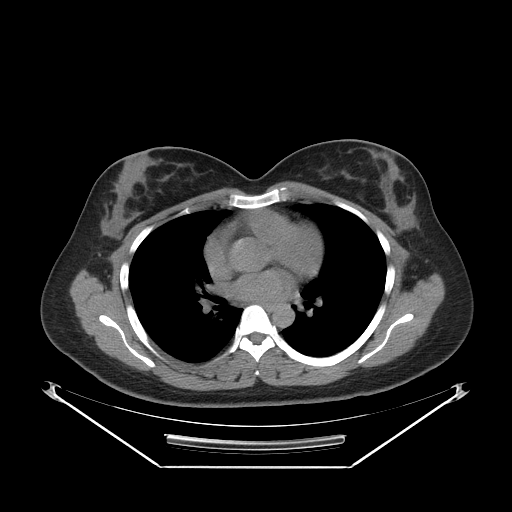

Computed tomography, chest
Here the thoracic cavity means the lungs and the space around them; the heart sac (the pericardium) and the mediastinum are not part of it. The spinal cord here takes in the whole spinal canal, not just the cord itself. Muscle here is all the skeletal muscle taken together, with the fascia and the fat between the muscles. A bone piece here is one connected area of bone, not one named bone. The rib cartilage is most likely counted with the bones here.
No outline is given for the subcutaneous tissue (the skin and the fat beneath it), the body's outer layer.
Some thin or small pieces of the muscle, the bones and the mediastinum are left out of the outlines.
{"mediastinum":[[[299,290],[296,297],[293,301],[293,304],[291,306],[295,312],[295,319],[291,325],[287,327],[285,327],[280,332],[280,333],[277,327],[273,323],[272,323],[270,320],[270,318],[264,308],[261,305],[260,305],[274,305],[275,304],[285,304],[289,302]],[[298,199],[305,200],[308,202],[316,202],[313,203],[297,203],[292,207],[293,209],[301,212],[309,218],[304,217],[293,211],[291,211],[285,208],[279,208],[278,207],[264,207],[267,207],[270,205],[279,202],[285,202],[288,200],[297,200]],[[212,281],[213,282],[213,285],[215,286],[217,290],[230,300],[233,300],[238,303],[242,303],[243,304],[251,304],[247,305],[245,307],[244,307],[243,309],[241,307],[234,306],[231,302],[228,301],[221,295],[219,295],[217,293],[216,293],[212,285]],[[230,207],[234,207],[235,208],[238,208],[239,209],[248,209],[244,210],[243,211],[240,211],[237,213],[235,213],[229,216],[226,219],[222,221],[219,224],[219,225],[217,227],[216,227],[218,225],[218,224],[230,213],[230,211],[229,210]]],"torso":[[[344,138],[387,146],[415,165],[426,182],[434,211],[465,265],[474,297],[471,329],[439,366],[391,390],[346,400],[178,407],[138,399],[105,385],[50,342],[40,320],[44,284],[93,183],[111,163],[155,146],[181,146],[215,156],[256,178],[302,147]]],"bones":[{"outer":[[383,302],[385,303],[384,313],[371,335],[357,350],[333,365],[305,364],[292,359],[276,346],[266,350],[258,361],[247,351],[239,348],[214,359],[231,343],[241,314],[249,305],[261,306],[281,336],[295,350],[307,356],[326,357],[351,344],[364,331]],"hole":[[254,332],[257,332],[258,333],[260,333],[261,334],[264,335],[264,337],[263,338],[263,339],[260,342],[260,343],[259,343],[258,344],[256,344],[255,343],[252,342],[252,341],[249,338],[249,335],[250,335],[252,333],[253,333]]},[[282,186],[286,186],[291,193],[289,199],[285,201],[279,201],[267,206],[259,207],[258,208],[251,208],[250,209],[248,208],[239,208],[234,206],[228,206],[226,203],[229,195],[232,193],[240,194],[241,195],[256,195],[270,191],[274,188],[278,188]],[[127,304],[132,304],[135,310],[135,312],[137,315],[137,317],[149,338],[149,342],[150,344],[163,358],[163,359],[155,355],[147,347],[146,347],[146,346],[139,339],[135,333],[134,330],[130,324],[130,322],[127,315],[127,311],[126,310],[126,305]],[[101,314],[104,314],[111,318],[123,331],[126,341],[128,344],[139,354],[148,357],[151,359],[154,362],[155,366],[154,367],[150,367],[141,359],[135,356],[124,344],[120,333],[114,327],[108,325],[105,325],[99,320],[99,316]],[[406,313],[411,313],[413,315],[413,318],[409,321],[402,322],[397,324],[391,330],[389,337],[386,343],[382,347],[382,348],[367,358],[361,363],[358,363],[358,360],[363,355],[373,350],[382,342],[385,337],[386,331],[389,326],[398,318]],[[149,225],[154,225],[154,228],[144,238],[144,239],[137,247],[136,250],[132,254],[131,253],[130,253],[129,252],[129,249],[130,248],[130,246],[131,245],[132,242],[136,237],[136,236],[141,231],[141,230],[142,229],[143,229],[145,227],[146,227]],[[389,264],[392,264],[394,266],[394,268],[395,269],[395,276],[394,277],[394,281],[393,282],[393,286],[392,287],[389,294],[388,295],[387,295],[384,293],[384,287],[385,286],[385,280],[386,279],[386,270],[387,269],[387,265],[388,265]],[[124,262],[127,262],[129,264],[129,271],[128,272],[128,289],[127,289],[126,290],[125,290],[124,291],[123,291],[121,289],[121,286],[120,285],[120,280],[119,279],[119,273],[120,272],[120,268],[121,267],[121,265]],[[334,200],[339,200],[340,201],[341,201],[342,202],[343,202],[344,203],[357,209],[360,212],[361,212],[367,218],[367,219],[368,220],[368,224],[367,224],[357,215],[356,215],[341,207],[339,207],[336,205],[334,205],[333,204],[333,201]],[[377,229],[378,229],[386,237],[386,238],[388,240],[388,242],[389,243],[389,247],[390,248],[390,252],[388,255],[386,255],[385,254],[385,253],[382,248],[382,246],[381,245],[381,244],[380,243],[380,242],[379,241],[379,240],[375,233],[375,231]],[[195,205],[197,205],[199,206],[200,207],[200,209],[198,210],[196,210],[195,211],[193,211],[187,214],[180,215],[177,217],[175,217],[171,219],[171,218],[175,214],[178,213],[184,208],[186,207],[190,207],[191,206],[194,206]]],"thoracic_cavity":[[[214,206],[227,206],[229,207],[229,213],[207,235],[202,249],[203,259],[215,293],[231,303],[234,307],[241,308],[242,311],[232,339],[224,349],[208,360],[188,362],[168,354],[149,337],[138,317],[129,290],[130,264],[138,247],[154,229],[172,219]],[[314,203],[336,206],[362,220],[374,232],[385,255],[386,264],[383,293],[370,321],[346,347],[326,356],[304,354],[290,345],[281,334],[295,321],[296,312],[292,306],[294,301],[304,285],[318,275],[324,259],[324,239],[317,224],[293,208],[297,204]]],"pericardium":[[[259,208],[285,209],[304,218],[307,218],[316,224],[323,239],[324,253],[317,275],[304,282],[292,298],[285,303],[256,304],[243,303],[230,299],[220,292],[214,285],[214,282],[212,280],[204,259],[203,250],[206,240],[208,236],[222,222],[240,212]]],"muscle":[{"outer":[[286,180],[306,183],[355,202],[382,219],[410,255],[403,272],[404,289],[409,290],[417,280],[433,272],[440,274],[445,294],[424,338],[417,345],[373,370],[326,384],[274,386],[258,380],[244,388],[202,391],[175,387],[137,371],[104,353],[91,341],[76,316],[69,294],[76,274],[85,268],[109,285],[112,274],[110,255],[121,245],[131,227],[194,196],[222,187],[234,187],[256,194],[232,192],[226,205],[202,209],[197,204],[186,206],[155,228],[154,224],[145,226],[131,242],[128,249],[133,254],[131,261],[120,265],[118,279],[120,289],[129,291],[132,303],[127,303],[125,310],[138,339],[162,360],[164,358],[150,339],[168,355],[188,363],[201,363],[214,357],[216,361],[238,349],[258,362],[266,351],[276,347],[296,362],[328,367],[357,351],[380,323],[386,310],[386,303],[380,303],[382,296],[388,296],[394,286],[395,266],[386,263],[386,256],[391,252],[389,240],[378,228],[374,231],[368,225],[369,220],[361,211],[339,199],[334,199],[332,204],[290,199],[292,193],[286,185],[265,191]],"holes":[[[101,314],[104,314],[111,318],[123,331],[126,341],[128,344],[139,354],[148,357],[151,359],[154,362],[155,366],[154,367],[150,367],[141,359],[135,356],[124,344],[120,333],[114,327],[108,325],[105,325],[99,320],[99,316]],[[406,313],[411,313],[413,315],[413,318],[409,321],[402,322],[397,324],[391,330],[389,337],[386,343],[382,347],[382,348],[367,358],[361,363],[358,363],[358,360],[363,355],[373,350],[382,342],[385,337],[386,331],[389,326],[398,318]]]}],"spinal_cord":[[[254,332],[257,332],[258,333],[260,333],[261,334],[264,335],[264,337],[263,338],[263,339],[260,342],[260,343],[259,343],[258,344],[256,344],[255,343],[252,342],[252,341],[249,338],[249,335],[250,335],[252,333],[253,333]]]}